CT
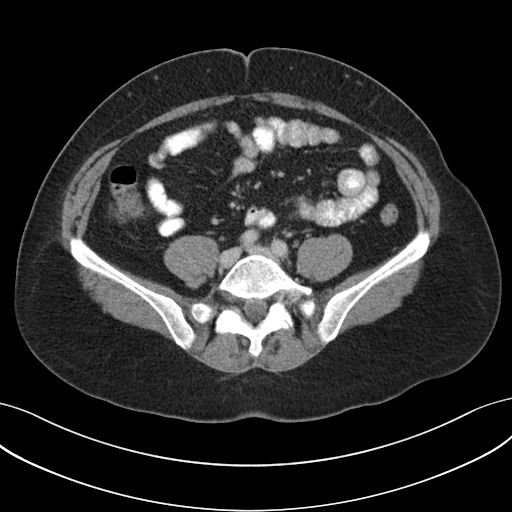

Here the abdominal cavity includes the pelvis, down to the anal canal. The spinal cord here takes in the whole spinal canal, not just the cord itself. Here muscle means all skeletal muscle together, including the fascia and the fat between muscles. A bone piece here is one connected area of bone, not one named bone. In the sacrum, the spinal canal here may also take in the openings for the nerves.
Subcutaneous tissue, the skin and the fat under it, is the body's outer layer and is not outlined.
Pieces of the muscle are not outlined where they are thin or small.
{"abdominal_cavity":[{"outer":[[235,100],[268,102],[333,118],[369,137],[391,159],[413,201],[417,224],[414,235],[377,264],[319,291],[296,281],[269,257],[251,253],[238,259],[217,285],[201,297],[182,295],[167,285],[120,267],[93,249],[84,235],[104,172],[115,153],[150,128]],"hole":[[184,235],[202,235],[203,236],[206,236],[213,239],[216,242],[218,246],[217,259],[215,262],[215,269],[213,274],[211,276],[208,277],[205,282],[194,288],[187,285],[182,279],[171,272],[166,267],[163,259],[164,251],[168,247],[169,244],[175,239]]}],"spinal_cord":[[[230,294],[232,294],[237,298],[241,299],[258,299],[260,300],[263,298],[272,297],[274,298],[275,301],[274,303],[271,304],[267,308],[267,311],[263,318],[258,322],[253,323],[249,321],[245,314],[238,308],[233,306],[232,307],[228,306],[227,297]]],"bones":[[[251,254],[269,258],[310,287],[308,297],[315,302],[310,317],[302,314],[298,301],[286,304],[293,326],[267,334],[258,356],[250,354],[246,336],[215,331],[215,318],[223,308],[238,309],[256,324],[276,301],[232,293],[226,298],[217,289],[234,264]],[[422,228],[427,230],[430,236],[430,241],[427,251],[420,258],[414,262],[373,285],[348,311],[341,324],[336,337],[328,343],[323,344],[317,333],[317,326],[322,318],[324,307],[328,300],[337,292],[356,284],[376,270],[403,248],[416,234],[418,230]],[[74,236],[79,236],[98,255],[136,282],[148,289],[173,299],[181,307],[186,320],[191,326],[195,334],[195,338],[191,347],[187,350],[184,350],[177,345],[161,316],[148,302],[138,294],[122,284],[99,274],[79,263],[70,253],[69,240],[71,237]],[[197,302],[204,302],[214,307],[214,314],[213,315],[213,317],[211,319],[210,319],[208,321],[204,323],[201,323],[197,321],[193,317],[193,316],[190,312],[190,306],[191,304],[193,303],[196,303]]],"muscle":[[[263,91],[284,92],[319,102],[394,139],[417,157],[439,197],[439,234],[412,292],[391,312],[373,322],[356,325],[337,337],[355,304],[373,286],[420,259],[429,249],[431,236],[423,227],[416,232],[416,207],[392,159],[369,136],[333,117],[268,101],[235,99],[150,127],[123,144],[111,158],[89,211],[83,239],[79,235],[71,236],[68,240],[69,253],[59,239],[62,206],[68,185],[86,159],[99,147],[193,100]],{"outer":[[400,248],[368,275],[327,300],[316,326],[320,342],[327,344],[319,353],[286,371],[254,367],[241,373],[220,371],[190,356],[185,351],[192,347],[196,334],[182,307],[136,281],[96,252],[120,268],[140,277],[167,286],[182,296],[201,298],[216,286],[225,294],[227,306],[214,318],[214,331],[246,337],[249,354],[258,357],[267,335],[294,326],[286,305],[298,302],[301,314],[310,318],[316,309],[315,300],[309,297],[313,291],[334,287]],"hole":[[197,302],[204,302],[214,307],[214,314],[213,315],[213,317],[211,319],[210,319],[208,321],[204,323],[201,323],[197,321],[193,317],[193,316],[190,312],[190,306],[191,304],[193,303],[196,303]]},[[72,257],[83,267],[122,285],[125,288],[138,295],[143,300],[148,303],[160,316],[174,343],[171,340],[164,337],[161,334],[155,331],[144,329],[141,327],[135,326],[129,323],[126,323],[102,313],[81,288],[81,285],[77,276],[76,265],[72,260]],[[184,235],[202,235],[203,236],[206,236],[213,239],[216,242],[218,246],[217,259],[215,262],[215,269],[213,274],[211,276],[208,277],[205,282],[194,288],[187,285],[182,279],[171,272],[166,267],[163,259],[164,251],[168,247],[169,244],[175,239]],[[334,233],[340,234],[344,236],[347,238],[351,244],[353,254],[351,258],[351,261],[349,264],[337,275],[325,281],[310,281],[307,277],[304,277],[301,274],[298,273],[296,266],[296,261],[297,260],[297,252],[301,244],[306,239],[325,237]]],"torso":[[[263,46],[345,62],[388,87],[424,121],[450,169],[477,199],[497,249],[502,297],[488,341],[449,375],[379,404],[309,421],[200,423],[127,409],[74,388],[28,349],[12,308],[19,243],[46,172],[89,113],[136,74],[193,51],[231,48],[247,54]]]}